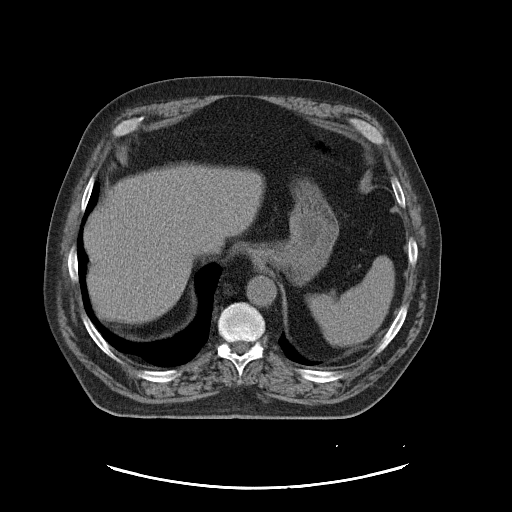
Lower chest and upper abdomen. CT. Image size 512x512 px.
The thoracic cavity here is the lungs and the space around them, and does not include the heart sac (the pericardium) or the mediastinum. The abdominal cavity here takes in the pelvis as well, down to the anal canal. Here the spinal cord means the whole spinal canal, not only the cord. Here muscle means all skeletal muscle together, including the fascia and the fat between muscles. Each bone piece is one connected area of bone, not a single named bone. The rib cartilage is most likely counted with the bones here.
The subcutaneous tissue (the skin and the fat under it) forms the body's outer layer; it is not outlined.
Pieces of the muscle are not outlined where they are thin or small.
{"muscle":[{"outer":[[226,93],[248,93],[258,95],[275,95],[276,96],[282,95],[283,96],[295,96],[296,97],[306,97],[307,98],[324,98],[351,104],[359,109],[363,110],[375,117],[378,120],[392,140],[398,156],[408,174],[408,178],[412,189],[417,197],[417,201],[420,205],[421,209],[420,213],[422,221],[425,227],[426,254],[427,255],[426,299],[425,300],[424,320],[422,323],[421,329],[407,350],[372,385],[367,387],[357,394],[342,401],[336,403],[315,404],[314,405],[302,404],[301,403],[285,403],[274,401],[264,401],[258,397],[256,393],[256,388],[253,385],[250,385],[249,386],[231,387],[226,389],[221,393],[195,399],[191,401],[183,401],[173,403],[144,403],[140,402],[112,390],[98,377],[87,369],[69,349],[64,341],[61,332],[59,330],[56,314],[57,312],[56,309],[57,268],[58,267],[58,252],[63,232],[65,218],[73,197],[74,189],[78,183],[80,175],[101,136],[112,122],[128,108],[133,108],[150,102],[156,102],[169,99],[193,97],[194,96],[207,96],[208,95],[216,95]],"holes":[[[228,97],[265,100],[353,131],[356,129],[348,119],[359,118],[383,136],[383,143],[374,145],[388,177],[396,176],[401,185],[405,207],[397,209],[406,239],[412,236],[417,244],[417,260],[405,270],[401,300],[402,305],[408,305],[405,319],[375,356],[376,344],[341,366],[306,367],[286,357],[266,332],[266,341],[260,340],[263,356],[245,365],[238,384],[235,365],[216,355],[222,341],[216,335],[192,359],[174,367],[180,375],[156,382],[137,376],[147,365],[113,347],[122,361],[114,360],[89,335],[82,321],[86,311],[80,284],[72,281],[67,260],[71,246],[77,245],[85,186],[93,173],[98,176],[118,139],[112,130],[136,116],[144,116],[140,128],[159,128]],[[296,368],[304,368],[305,369],[314,369],[315,370],[338,370],[339,371],[343,372],[344,373],[344,375],[342,378],[340,378],[336,380],[333,380],[332,381],[328,381],[327,382],[315,382],[314,381],[308,380],[307,379],[303,378],[296,371],[295,369]]]}],"bones":[{"outer":[[241,301],[254,307],[261,314],[265,321],[267,339],[265,342],[262,339],[260,340],[263,356],[253,359],[245,365],[241,375],[242,382],[238,384],[239,376],[235,365],[229,359],[216,355],[217,346],[222,341],[217,331],[217,320],[224,308],[234,302]],"hole":[[236,341],[244,341],[245,342],[247,342],[248,343],[249,343],[249,348],[246,351],[245,351],[243,353],[241,353],[240,354],[239,354],[238,353],[237,353],[236,352],[233,351],[232,350],[232,347],[231,346],[232,345],[232,343],[233,343]]},[[403,304],[407,304],[408,305],[408,308],[407,309],[407,313],[406,314],[405,319],[401,327],[392,340],[385,347],[385,348],[375,356],[372,356],[372,354],[374,352],[377,345],[380,342],[383,336],[388,330],[390,325],[396,316],[401,305]],[[296,368],[304,368],[305,369],[314,369],[315,370],[338,370],[339,371],[343,372],[344,373],[344,375],[342,378],[340,378],[336,380],[333,380],[332,381],[328,381],[327,382],[315,382],[314,381],[308,380],[307,379],[303,378],[296,371],[295,369]],[[351,117],[355,117],[356,118],[362,119],[368,122],[373,126],[374,126],[383,136],[383,143],[379,145],[377,144],[374,144],[372,143],[368,139],[367,139],[363,135],[362,135],[357,130],[356,130],[356,129],[350,123],[348,122],[348,119]],[[85,314],[87,315],[87,316],[89,318],[89,319],[91,321],[95,328],[111,347],[112,351],[122,361],[122,362],[118,362],[114,360],[109,356],[108,356],[103,351],[102,351],[102,350],[95,343],[95,342],[89,335],[82,321],[82,316]],[[173,368],[179,370],[181,373],[180,375],[177,376],[174,379],[167,382],[156,382],[155,381],[150,381],[143,378],[140,378],[137,376],[137,372],[139,370],[142,370],[143,369],[146,369],[147,370],[158,370],[161,371],[162,370],[167,370]],[[136,116],[144,116],[144,119],[143,121],[140,124],[139,127],[138,127],[137,129],[125,135],[123,135],[119,137],[117,137],[113,135],[112,133],[112,130],[116,126],[116,125],[117,125],[121,121],[123,120],[129,119],[132,117],[135,117]],[[72,245],[75,245],[76,246],[76,251],[77,252],[77,274],[78,275],[78,281],[77,282],[73,282],[72,281],[72,280],[69,275],[69,272],[68,271],[68,265],[67,264],[67,260],[68,259],[68,253],[69,252],[69,250]],[[392,176],[396,176],[401,185],[401,187],[404,194],[404,197],[405,198],[405,207],[404,208],[401,207],[398,204],[396,200],[396,198],[395,197],[395,195],[394,194],[394,192],[391,185],[391,182],[390,181],[390,179]],[[93,173],[95,173],[95,180],[94,181],[94,183],[93,184],[93,186],[91,190],[91,193],[90,194],[89,199],[87,202],[86,207],[83,213],[81,211],[81,199],[82,198],[82,195],[83,194],[83,192],[84,191],[85,186],[87,184],[90,176]],[[410,236],[412,236],[414,238],[414,239],[415,240],[415,241],[417,244],[417,260],[416,261],[416,263],[414,266],[412,266],[411,265],[409,265],[408,264],[408,247],[407,246],[407,243],[408,242],[408,239]]],"abdominal_cavity":[[[228,97],[265,100],[357,131],[381,155],[405,229],[405,287],[379,342],[354,361],[322,367],[296,350],[286,337],[280,283],[243,244],[218,265],[197,272],[195,314],[171,335],[129,341],[94,314],[83,227],[98,199],[96,178],[116,140]]],"torso":[[[185,76],[268,76],[330,81],[369,96],[383,106],[402,129],[429,188],[440,222],[439,296],[425,341],[391,389],[367,410],[342,419],[118,416],[100,409],[89,399],[61,353],[43,305],[46,238],[58,191],[82,133],[92,117],[123,92],[149,82]]],"mediastinum":[[[239,245],[243,245],[250,249],[260,265],[278,281],[283,293],[286,320],[285,333],[281,329],[279,331],[268,330],[266,321],[262,314],[254,306],[246,301],[234,301],[224,307],[217,318],[213,317],[214,294],[223,270],[219,265],[225,261],[233,250]]],"thoracic_cavity":[[[96,180],[97,199],[82,227],[82,246],[87,259],[85,286],[93,314],[112,334],[129,342],[151,342],[183,329],[198,309],[196,275],[210,264],[222,269],[212,304],[217,335],[183,364],[147,369],[147,365],[112,347],[86,313],[79,283],[77,239]],[[267,330],[274,332],[279,332],[281,330],[281,331],[285,334],[285,337],[289,343],[291,344],[295,350],[300,355],[307,360],[317,362],[320,364],[318,365],[317,367],[306,367],[304,365],[301,365],[294,361],[292,361],[286,357],[280,348],[270,339]]],"spinal_cord":[[[236,341],[244,341],[245,342],[247,342],[248,343],[249,343],[249,348],[246,351],[245,351],[243,353],[241,353],[240,354],[239,354],[238,353],[237,353],[236,352],[233,351],[232,350],[232,347],[231,346],[232,345],[232,343],[233,343]]]}